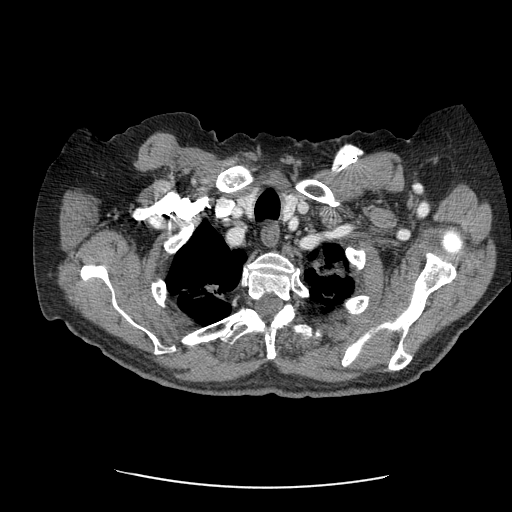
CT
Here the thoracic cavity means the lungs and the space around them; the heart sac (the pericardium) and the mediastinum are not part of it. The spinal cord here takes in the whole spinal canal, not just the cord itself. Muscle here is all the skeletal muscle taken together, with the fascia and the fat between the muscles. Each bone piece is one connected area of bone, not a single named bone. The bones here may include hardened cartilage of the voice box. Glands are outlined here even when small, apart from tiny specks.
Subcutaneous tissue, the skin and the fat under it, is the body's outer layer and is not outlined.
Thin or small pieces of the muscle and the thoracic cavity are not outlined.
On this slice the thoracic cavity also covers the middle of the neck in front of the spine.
The thyroid glands appear in 2 outlined pieces: piece 1: 256,186 260,189 257,193 257,194 255,196 255,199 254,200 254,202 253,203 253,206 252,207 252,215 251,217 249,217 246,214 244,210 239,205 238,203 238,198 240,196 249,192 254,187; piece 2: 282,192 286,192 287,193 290,193 296,196 298,199 297,200 297,203 296,204 296,206 295,207 295,209 294,210 293,214 288,219 286,220 283,220 282,219 283,213 284,212 284,208 285,207 285,199 282,194. The spinal cord is outlined by 271,293 275,295 282,301 282,306 281,308 273,316 272,319 268,323 267,323 265,322 261,318 256,308 258,304 258,301 259,301 262,298 262,297 264,296 264,295 266,294 270,294. The thoracic cavity is outlined by 262,182 285,191 283,221 294,214 299,199 310,206 318,235 344,249 355,285 352,295 325,313 302,312 310,297 303,270 271,249 243,264 242,306 198,327 169,297 164,279 172,256 219,198 238,197 251,218. The torso is outlined by 171,111 192,113 219,140 236,132 266,132 317,141 380,128 409,138 451,241 469,260 511,271 508,285 432,369 395,389 318,398 220,396 142,378 63,321 43,316 32,227 33,218 60,201 83,174 103,139. The right arm is outlined by 82,126 89,127 96,135 102,139 87,163 82,172 82,174 80,175 77,180 63,195 61,199 58,200 56,203 40,215 34,217 34,210 35,209 38,193 47,168 51,162 58,155 64,143 72,132 77,128. The muscle is outlined by 156,131 173,134 182,146 220,156 238,150 258,151 269,158 292,155 319,171 337,172 366,156 390,151 398,154 405,171 423,184 469,184 486,197 492,209 490,233 497,250 493,277 478,301 433,336 407,369 399,372 324,382 282,372 269,363 232,381 180,381 87,320 66,300 56,275 58,221 65,192 71,187 93,193 117,188 133,168 139,147 with holes at 262,182 306,202 319,236 364,250 363,267 351,269 352,295 368,295 368,306 308,314 301,303 277,330 271,360 259,332 232,344 217,338 186,346 180,337 198,326 150,290 172,259 163,243 195,228 215,200 and at 449,226 455,227 463,240 456,276 429,294 421,314 409,327 404,347 413,355 410,362 400,370 386,370 401,333 383,328 344,367 341,359 350,344 370,328 393,320 408,306 425,254 444,252 440,240 442,230 and at 85,264 104,265 118,305 136,323 152,332 163,344 170,345 174,343 176,345 175,351 154,354 154,346 148,335 141,329 129,323 114,308 111,302 111,293 105,283 100,278 92,277 83,280 80,277 80,270 and at 238,164 242,164 246,166 251,171 251,173 253,177 253,181 251,183 248,184 241,189 239,189 232,192 221,192 219,191 215,186 215,180 216,179 217,175 222,170 226,168 228,168 229,167 237,165 and at 304,178 311,178 312,179 315,179 327,186 331,190 334,195 335,199 339,202 339,204 336,206 331,206 327,203 325,203 324,202 319,201 316,199 311,198 307,196 305,194 298,191 295,188 294,185 297,181 and at 301,322 305,322 309,324 313,328 314,330 317,328 319,328 320,329 320,331 322,333 322,335 321,337 319,338 313,335 309,337 307,339 305,339 300,334 294,332 292,329 292,324 294,323 300,323. The bones appear in 10 outlined pieces: piece 1: 271,250 279,251 301,268 300,279 309,290 309,297 300,300 292,322 277,330 275,357 266,358 264,337 259,332 246,333 232,344 219,338 189,347 181,343 181,336 216,322 243,306 247,300 239,286 243,266 with a hole at 271,293 275,295 282,301 282,306 281,308 273,316 272,319 268,323 267,323 265,322 261,318 256,308 258,304 258,301 259,301 262,298 262,297 264,296 264,295 266,294 270,294; piece 2: 449,226 455,227 463,240 456,276 429,294 421,314 409,327 404,347 413,355 410,362 400,370 386,370 401,333 383,328 344,367 341,359 350,344 370,328 393,320 408,306 425,254 444,252 440,240 442,230; piece 3: 85,264 104,265 118,305 136,323 152,332 163,344 170,345 174,343 176,345 175,351 154,354 154,346 148,335 141,329 129,323 114,308 111,302 111,293 105,283 100,278 92,277 83,280 80,277 80,270; piece 4: 238,164 242,164 246,166 251,171 251,173 253,177 253,181 251,183 248,184 241,189 239,189 232,192 221,192 219,191 215,186 215,180 216,179 217,175 222,170 226,168 228,168 229,167 237,165; piece 5: 304,178 311,178 312,179 315,179 327,186 331,190 334,195 335,199 339,202 339,204 336,206 331,206 327,203 325,203 324,202 319,201 316,199 311,198 307,196 305,194 298,191 295,188 294,185 297,181; piece 6: 191,223 193,223 194,224 194,228 187,241 173,255 171,256 169,255 164,249 164,247 163,246 163,243 164,241 168,237 171,236 173,234 176,234 178,232 179,232 181,230 182,230 184,228 188,226; piece 7: 362,294 366,294 370,297 368,306 364,311 363,311 360,313 358,313 357,314 351,314 350,313 349,313 342,306 342,303 344,301 344,300 349,298 351,296 356,296 357,295 361,295; piece 8: 347,246 351,246 352,247 353,247 355,249 363,249 364,250 364,251 365,252 365,254 366,255 366,261 365,262 365,264 361,269 356,269 355,268 350,268 349,267 349,263 348,262 348,261 345,256 345,248; piece 9: 158,278 160,278 161,279 162,279 165,282 166,289 168,292 168,298 166,301 166,306 165,307 162,307 156,302 156,301 154,299 154,298 151,293 151,291 150,290 150,285 151,284 151,283 153,281 155,281; piece 10: 301,322 305,322 309,324 313,328 314,330 317,328 319,328 320,329 320,331 322,333 322,335 321,337 319,338 313,335 309,337 307,339 305,339 300,334 294,332 292,329 292,324 294,323 300,323. The left arm is outlined by 457,103 461,104 465,108 480,132 494,162 499,179 501,182 508,213 509,229 511,238 511,270 474,259 469,259 452,241 443,221 440,218 420,168 413,145 410,139 410,137 416,130 421,120 428,113 445,106.